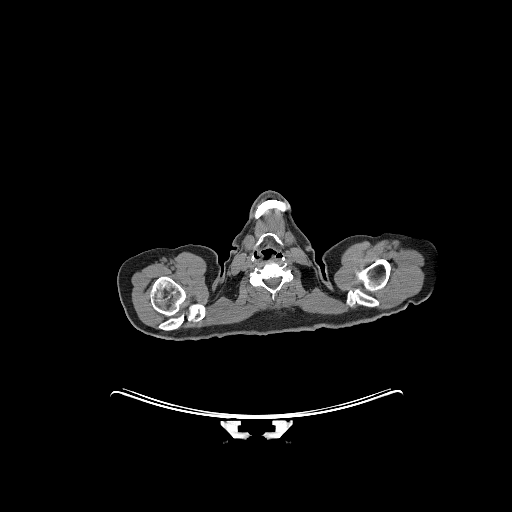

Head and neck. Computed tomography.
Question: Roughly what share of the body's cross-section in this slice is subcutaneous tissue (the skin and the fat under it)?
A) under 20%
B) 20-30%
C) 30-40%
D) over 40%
Answer: C) 30-40%
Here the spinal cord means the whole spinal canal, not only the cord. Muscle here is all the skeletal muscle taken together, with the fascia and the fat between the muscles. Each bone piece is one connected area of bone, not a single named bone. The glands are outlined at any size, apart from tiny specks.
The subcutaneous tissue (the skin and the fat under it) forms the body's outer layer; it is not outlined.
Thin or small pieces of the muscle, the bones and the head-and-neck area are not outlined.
Outlines:
left arm: [[384,232],[399,233],[431,241],[439,254],[441,261],[441,270],[437,283],[432,293],[426,300],[417,305],[410,303],[404,310],[398,313],[383,316],[375,321],[365,323],[327,283],[324,274],[324,264],[321,256],[325,250],[345,237],[355,234],[376,236]]
spinal cord: [[279,277],[280,277],[281,278],[281,281],[280,282],[280,283],[279,284],[278,284],[276,287],[271,287],[270,286],[269,286],[267,284],[266,284],[264,282],[264,280],[265,279],[266,279],[267,280],[270,278],[278,278]]
submandibular glands 1: [[247,234],[250,234],[251,235],[252,235],[253,236],[253,242],[252,243],[252,244],[251,245],[251,246],[249,248],[246,248],[245,247],[244,247],[244,246],[242,244],[242,242],[244,240],[244,239],[246,237],[246,235]]
submandibular glands 2: [[287,232],[289,232],[290,233],[291,233],[294,236],[294,237],[295,238],[295,241],[294,241],[293,242],[293,243],[290,243],[289,244],[288,243],[287,243],[286,242],[286,241],[285,240],[285,238],[284,237],[284,233],[286,233]]
torso: [[326,286],[329,286],[364,323],[361,324],[337,329],[321,327],[314,331],[283,332],[267,335],[236,334],[220,338],[212,337],[208,339],[185,341],[173,341],[158,338],[169,336],[175,333],[196,318],[212,298],[213,293],[257,312],[276,313]]
head and neck: [[266,190],[273,190],[280,193],[289,203],[292,210],[293,219],[310,241],[315,253],[315,260],[328,285],[318,288],[302,299],[276,312],[257,311],[214,292],[221,272],[221,265],[229,255],[232,248],[233,239],[246,222],[250,207],[254,200],[260,193]] with a hole at [[266,237],[272,237],[274,239],[274,241],[279,246],[281,246],[283,248],[284,254],[281,257],[281,259],[283,261],[281,265],[275,261],[270,261],[262,264],[260,264],[255,261],[255,255],[253,252],[259,247],[259,246],[263,242],[263,240]]
right arm: [[184,244],[205,245],[216,251],[218,255],[218,262],[220,265],[220,272],[211,298],[198,313],[196,317],[175,332],[162,337],[154,337],[145,334],[136,329],[130,323],[120,302],[116,282],[119,267],[129,257],[131,257],[145,250],[158,247],[175,248]]
muscle 1: [[270,209],[285,212],[323,288],[335,289],[333,276],[348,246],[379,239],[399,240],[424,253],[426,272],[422,288],[394,307],[375,308],[380,302],[374,294],[386,286],[392,269],[387,259],[378,257],[355,272],[360,285],[348,289],[344,299],[348,308],[370,308],[335,315],[309,315],[282,308],[259,311],[230,324],[179,328],[185,319],[194,323],[202,320],[207,308],[194,302],[178,314],[186,291],[169,275],[160,275],[151,283],[148,296],[152,308],[167,317],[158,324],[159,329],[145,324],[131,300],[131,275],[135,271],[160,257],[188,251],[206,261],[207,282],[216,293],[224,285],[227,269],[241,243],[249,249],[254,242],[254,236],[247,233],[253,218],[258,219]]; inner edges: [[268,232],[275,234],[282,241],[284,261],[293,275],[293,278],[290,281],[285,282],[281,286],[274,299],[268,290],[262,286],[253,286],[249,281],[250,272],[255,267],[261,268],[265,264],[253,261],[251,259],[251,254],[254,251],[254,245],[259,237]], then [[287,232],[289,232],[290,233],[291,233],[294,236],[294,237],[295,238],[295,241],[294,241],[293,242],[293,243],[290,243],[289,244],[288,243],[287,243],[286,242],[286,241],[285,240],[285,238],[284,237],[284,233],[286,233]]
muscle 2: [[268,195],[275,195],[276,196],[279,197],[280,198],[280,199],[279,200],[278,200],[277,199],[274,199],[273,198],[267,198],[266,199],[263,200],[261,202],[260,202],[259,203],[259,202],[261,200],[261,199],[262,199],[264,197],[266,197]]
bones 1: [[160,276],[169,276],[185,291],[185,299],[180,305],[180,310],[177,313],[178,315],[186,312],[191,304],[199,303],[203,304],[206,308],[204,317],[196,322],[189,321],[185,318],[177,329],[160,329],[159,324],[168,317],[153,308],[149,296],[152,283]]
bones 2: [[378,258],[383,258],[387,260],[391,265],[390,274],[385,286],[376,291],[373,294],[378,300],[379,305],[371,308],[355,304],[353,307],[348,307],[345,303],[346,294],[348,290],[350,289],[353,290],[361,285],[361,283],[356,278],[356,272],[371,264]]
bones 3: [[283,256],[284,261],[292,272],[293,278],[290,281],[285,282],[281,286],[273,299],[271,293],[268,290],[262,286],[253,286],[250,283],[249,274],[255,267],[261,268],[265,264],[270,262],[275,262],[281,266],[284,262],[282,259]], around a hole outlined by [[279,277],[280,277],[281,278],[281,281],[280,282],[280,283],[279,284],[278,284],[276,287],[271,287],[270,286],[269,286],[267,284],[266,284],[264,282],[264,280],[265,279],[266,279],[267,280],[270,278],[278,278]]
bones 4: [[267,199],[273,199],[274,200],[277,200],[278,201],[280,200],[281,201],[286,201],[289,203],[290,207],[289,209],[288,209],[284,212],[280,211],[275,208],[270,208],[262,215],[261,215],[256,219],[253,217],[253,214],[255,211],[255,209],[257,205]]
bones 5: [[268,232],[270,232],[271,233],[275,234],[282,241],[283,243],[283,246],[279,245],[275,241],[275,239],[272,236],[266,236],[262,240],[262,242],[258,246],[258,247],[255,250],[254,250],[254,245],[259,238],[259,237],[262,234],[264,233],[267,233]]